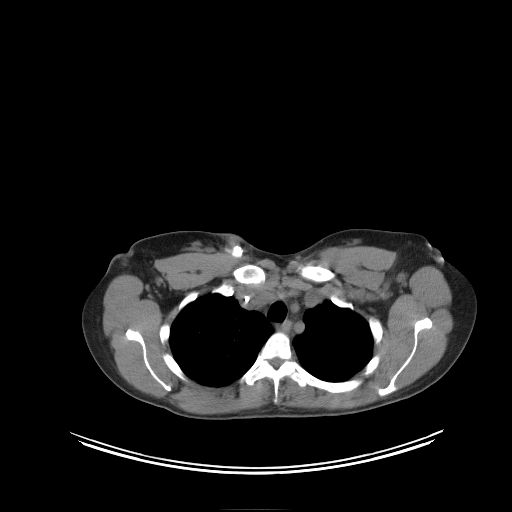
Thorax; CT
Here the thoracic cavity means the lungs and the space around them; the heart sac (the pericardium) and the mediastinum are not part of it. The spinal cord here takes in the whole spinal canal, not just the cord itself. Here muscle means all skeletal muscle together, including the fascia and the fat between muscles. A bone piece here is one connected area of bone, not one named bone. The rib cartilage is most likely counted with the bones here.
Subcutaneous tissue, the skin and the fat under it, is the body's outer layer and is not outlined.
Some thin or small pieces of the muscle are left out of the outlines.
spinal cord: 276 357; 277 358; 279 358; 280 359; 281 359; 282 360; 282 362; 281 363; 281 364; 277 368; 275 368; 269 362; 269 360; 270 360; 271 359; 272 359; 273 358; 275 358
muscle: 347 244; 397 253; 388 271; 392 295; 364 306; 384 322; 420 267; 436 267; 450 287; 454 323; 447 347; 411 384; 346 409; 307 409; 282 407; 270 403; 198 414; 136 389; 118 372; 103 331; 103 297; 110 281; 127 273; 143 282; 141 296; 155 300; 165 315; 178 303; 171 324; 162 323; 158 336; 171 351; 161 355; 165 365; 182 381; 252 386; 266 378; 272 382; 272 402; 273 403; 274 404; 276 404; 278 402; 285 377; 301 388; 332 394; 358 388; 364 380; 354 375; 361 371; 368 376; 380 363; 373 348; 384 331; 378 318; 370 315; 367 320; 351 301; 288 287; 235 293; 224 281; 202 295; 195 289; 183 297; 153 267; 155 259; 195 252; 268 258; 284 266; 296 257 with holes at 424 317; 428 317; 431 320; 432 326; 430 328; 423 329; 418 333; 417 345; 414 354; 407 365; 395 379; 394 384; 397 389; 386 395; 382 396; 379 395; 377 393; 376 388; 385 387; 389 383; 391 378; 405 361; 413 347; 414 322 and at 245 264; 254 264; 255 265; 257 265; 259 266; 264 271; 265 273; 265 281; 259 284; 244 284; 243 283; 238 282; 235 279; 233 275; 233 271; 236 268; 240 266; 242 266 and at 307 264; 310 264; 311 265; 320 265; 323 267; 325 267; 329 269; 332 272; 334 273; 334 277; 329 280; 327 280; 326 281; 322 281; 321 282; 316 282; 312 280; 305 279; 301 277; 299 275; 298 273; 298 267; 299 266; 303 266 and at 128 328; 137 330; 141 334; 146 348; 146 357; 150 366; 156 375; 161 380; 171 387; 171 390; 170 391; 167 391; 151 375; 150 372; 145 365; 143 359; 143 350; 141 345; 135 340; 129 340; 126 338; 125 336; 125 332
thoracic cavity 1: 210 292; 217 293; 225 297; 229 297; 233 295; 242 308; 248 311; 260 312; 273 330; 273 332; 264 342; 249 368; 236 380; 221 386; 205 385; 188 377; 174 358; 169 343; 171 325; 178 313; 186 305; 193 302; 199 296; 202 296
thoracic cavity 2: 326 298; 329 299; 336 306; 340 308; 350 309; 362 316; 367 321; 373 340; 372 356; 363 368; 354 374; 351 378; 342 381; 324 380; 310 373; 300 364; 292 347; 292 341; 295 336; 301 334; 305 330; 304 314; 306 310; 320 304
torso: 349 228; 419 233; 469 279; 475 290; 476 319; 464 349; 439 380; 411 397; 341 416; 192 419; 138 400; 121 390; 102 372; 87 347; 81 326; 83 304; 112 257; 126 251; 139 239; 177 230; 234 232; 262 250; 287 254; 330 233
bones 1: 278 331; 288 336; 297 361; 313 376; 329 382; 362 378; 362 383; 350 391; 332 393; 308 384; 301 387; 285 376; 280 380; 276 403; 273 402; 273 382; 269 378; 258 379; 252 385; 238 383; 237 380; 254 363; 267 339 with a hole at 276 357; 277 358; 279 358; 280 359; 281 359; 282 360; 282 362; 281 363; 281 364; 277 368; 275 368; 269 362; 269 360; 270 360; 271 359; 272 359; 273 358; 275 358
bones 2: 424 317; 428 317; 431 320; 432 326; 430 328; 423 329; 418 333; 417 345; 414 354; 407 365; 395 379; 394 384; 397 389; 386 395; 382 396; 379 395; 377 393; 376 388; 385 387; 389 383; 391 378; 405 361; 413 347; 414 322
bones 3: 245 264; 254 264; 255 265; 257 265; 259 266; 264 271; 265 273; 265 281; 259 284; 244 284; 243 283; 238 282; 235 279; 233 275; 233 271; 236 268; 240 266; 242 266
bones 4: 307 264; 310 264; 311 265; 320 265; 323 267; 325 267; 329 269; 332 272; 334 273; 334 277; 329 280; 327 280; 326 281; 322 281; 321 282; 316 282; 312 280; 305 279; 301 277; 299 275; 298 273; 298 267; 299 266; 303 266
bones 5: 128 328; 137 330; 141 334; 146 348; 146 357; 150 366; 156 375; 161 380; 171 387; 171 390; 170 391; 167 391; 151 375; 150 372; 145 365; 143 359; 143 350; 141 345; 135 340; 129 340; 126 338; 125 336; 125 332
bones 6: 165 352; 170 353; 172 355; 173 358; 178 364; 178 365; 180 367; 182 371; 185 374; 185 375; 187 376; 188 378; 188 380; 187 381; 182 380; 178 376; 177 376; 173 372; 172 372; 171 370; 166 365; 162 357; 162 355
bones 7: 370 316; 372 316; 378 319; 381 323; 381 325; 382 326; 382 330; 383 331; 382 333; 382 337; 379 343; 377 344; 374 344; 374 340; 373 339; 373 337; 372 336; 372 333; 371 332; 371 330; 370 329; 370 327; 368 323; 368 319
bones 8: 375 354; 379 354; 379 355; 380 356; 380 359; 379 360; 379 363; 378 364; 377 367; 373 371; 373 372; 372 373; 371 373; 368 375; 364 375; 362 373; 362 370; 367 364; 367 363; 370 360; 370 359; 373 356; 373 355; 374 355
bones 9: 224 282; 227 284; 229 284; 230 285; 231 285; 233 287; 233 289; 234 290; 234 292; 232 295; 230 295; 229 296; 225 296; 224 295; 222 295; 220 293; 218 293; 217 292; 211 292; 211 291; 215 287; 220 285; 222 283; 223 283
bones 10: 332 294; 334 294; 340 298; 343 298; 345 300; 346 300; 349 302; 351 302; 352 303; 352 304; 354 307; 354 310; 353 310; 350 308; 348 308; 347 307; 340 307; 339 306; 338 306; 337 305; 336 305; 329 298; 330 297; 330 296
bones 11: 195 290; 196 290; 197 291; 198 291; 198 296; 193 301; 191 301; 190 302; 189 302; 187 304; 186 304; 178 312; 178 305; 179 304; 179 303; 181 301; 181 300; 187 294; 188 294; 190 292; 191 292; 192 291; 194 291
bones 12: 164 323; 167 323; 168 324; 169 324; 170 325; 170 328; 169 329; 169 337; 168 338; 168 341; 167 341; 165 343; 162 343; 160 340; 160 337; 159 336; 159 330; 160 329; 160 327; 161 326; 161 325
mediastinum: 275 288; 288 288; 294 291; 313 290; 325 298; 320 303; 305 310; 303 314; 304 330; 295 335; 291 343; 291 340; 286 333; 278 330; 274 331; 272 326; 260 311; 248 310; 242 307; 234 295; 234 293; 235 294; 240 290; 268 291